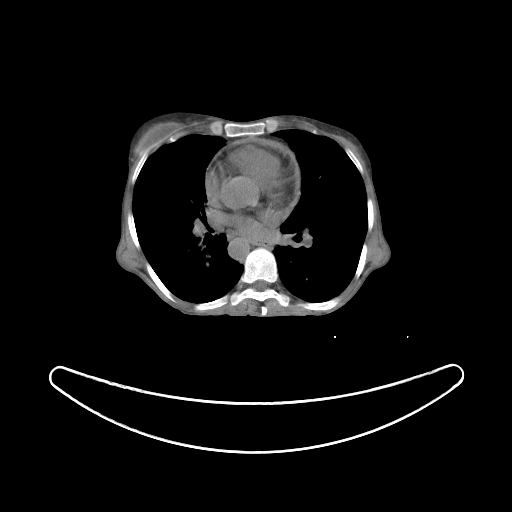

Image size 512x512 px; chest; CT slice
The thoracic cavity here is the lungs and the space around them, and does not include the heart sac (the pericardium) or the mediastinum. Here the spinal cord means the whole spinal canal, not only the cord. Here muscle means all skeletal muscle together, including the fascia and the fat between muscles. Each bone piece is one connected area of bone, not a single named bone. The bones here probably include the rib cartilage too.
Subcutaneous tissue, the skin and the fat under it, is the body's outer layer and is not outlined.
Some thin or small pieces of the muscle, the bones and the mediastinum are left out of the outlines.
{"bones":[{"outer":[[256,248],[264,248],[273,253],[276,260],[281,289],[290,296],[290,303],[287,306],[282,306],[276,299],[271,297],[263,302],[249,297],[243,299],[236,305],[231,305],[228,302],[213,309],[194,310],[194,304],[212,301],[234,290],[244,270],[246,256]],"hole":[[257,280],[263,280],[264,281],[265,281],[267,283],[267,287],[265,289],[264,289],[263,290],[261,290],[260,291],[259,290],[256,290],[252,286],[252,284],[255,281],[256,281]]},[[268,118],[274,118],[276,119],[279,122],[278,128],[273,132],[266,132],[259,135],[243,135],[242,136],[228,137],[224,135],[215,135],[212,134],[210,132],[209,129],[209,124],[213,121],[220,121],[222,123],[225,122],[253,123],[258,121],[263,121]],[[339,295],[341,296],[341,299],[339,302],[339,304],[336,307],[330,310],[309,310],[308,309],[305,309],[304,308],[302,308],[299,306],[296,306],[296,303],[298,301],[306,301],[307,302],[322,302],[323,301],[326,301],[327,300],[329,300]],[[146,260],[149,263],[149,264],[151,266],[155,273],[158,276],[158,277],[164,284],[164,285],[175,296],[176,300],[174,302],[167,298],[158,288],[156,284],[153,281],[153,280],[149,275],[146,269],[146,265],[145,264],[145,261]],[[131,209],[132,211],[132,214],[133,215],[133,219],[134,220],[135,229],[136,230],[136,233],[137,234],[137,238],[138,239],[138,241],[141,248],[140,250],[139,250],[135,246],[132,240],[132,238],[130,235],[128,224],[127,223],[127,213],[128,211]],[[364,242],[366,243],[366,245],[367,246],[367,252],[366,253],[366,256],[365,257],[365,264],[359,277],[356,279],[353,279],[353,277],[354,276],[354,274],[357,268],[357,265],[359,261],[359,258],[360,257],[360,254],[361,253],[362,246]],[[146,151],[147,151],[148,153],[148,156],[146,160],[144,162],[136,178],[136,180],[134,184],[132,184],[131,183],[131,180],[130,179],[132,176],[132,174],[140,158],[140,156]],[[367,197],[370,197],[370,198],[372,200],[372,203],[373,204],[373,225],[372,226],[372,228],[371,229],[371,230],[370,231],[370,232],[367,232],[367,227],[368,226],[368,213],[367,212]],[[345,147],[348,147],[354,153],[354,154],[358,159],[358,160],[363,169],[363,173],[361,175],[361,174],[359,172],[358,169],[356,167],[356,166],[354,164],[354,163],[350,159],[350,158],[348,156],[348,155],[345,152],[345,151],[344,150],[344,148]],[[180,131],[185,131],[186,132],[187,132],[187,133],[185,135],[184,135],[183,136],[180,137],[175,141],[173,141],[172,142],[169,142],[168,143],[165,143],[164,142],[164,141],[169,136],[170,136],[172,134],[173,134],[176,132],[179,132]],[[298,124],[300,124],[301,125],[305,125],[306,126],[308,126],[309,127],[311,127],[312,128],[315,128],[318,131],[318,133],[319,134],[315,134],[314,133],[312,133],[311,132],[310,132],[305,129],[302,129],[301,128],[299,128],[297,126],[297,125]]],"torso":[[[171,111],[209,114],[231,120],[298,114],[340,126],[355,134],[371,161],[383,232],[392,252],[388,263],[373,271],[345,305],[324,316],[187,316],[168,305],[139,277],[122,269],[116,262],[114,252],[120,237],[120,206],[127,175],[130,138],[146,119]]],"thoracic_cavity":[[[192,133],[220,136],[225,141],[205,168],[203,179],[205,190],[204,210],[215,226],[217,233],[225,235],[227,255],[243,266],[236,285],[231,291],[212,300],[195,303],[175,295],[147,260],[138,238],[132,210],[134,185],[148,157],[163,144],[175,142]],[[290,128],[298,128],[334,140],[343,149],[360,174],[366,194],[366,233],[353,276],[338,295],[322,301],[307,301],[286,290],[281,284],[274,254],[280,244],[278,241],[280,226],[293,210],[301,194],[301,171],[296,156],[282,137],[273,134],[275,131]]],"pericardium":[[[250,138],[266,138],[283,142],[293,152],[300,171],[299,197],[287,217],[279,224],[277,231],[270,237],[264,238],[252,237],[239,233],[230,233],[224,230],[220,230],[214,225],[208,213],[204,181],[206,168],[214,156],[228,144]]],"breast_implant":[[[170,120],[181,121],[188,124],[183,126],[180,126],[176,129],[168,133],[166,133],[159,139],[156,140],[152,144],[142,149],[138,153],[137,153],[136,151],[136,146],[141,135],[146,132],[150,127],[161,122],[169,121]]],"spinal_cord":[[[257,280],[263,280],[264,281],[265,281],[267,283],[267,287],[265,289],[264,289],[263,290],[261,290],[260,291],[259,290],[256,290],[252,286],[252,284],[255,281],[256,281]]],"muscle":[[[199,121],[210,122],[208,124],[208,129],[210,133],[199,132],[188,133],[185,130],[180,130],[172,133],[163,141],[164,143],[160,145],[152,153],[149,155],[148,151],[146,150],[139,156],[129,179],[130,183],[133,185],[133,191],[131,208],[126,213],[126,223],[129,235],[134,246],[139,251],[141,250],[142,251],[146,259],[144,261],[145,269],[152,281],[163,295],[170,301],[174,303],[177,300],[176,296],[182,300],[194,303],[192,305],[192,308],[196,312],[213,310],[228,303],[231,306],[236,306],[243,300],[249,298],[260,303],[263,303],[267,299],[271,298],[276,300],[280,306],[287,307],[291,303],[292,298],[288,293],[282,289],[282,287],[293,296],[303,300],[298,300],[295,303],[296,307],[309,311],[327,311],[310,313],[267,314],[268,309],[264,304],[262,304],[260,306],[260,314],[235,312],[211,312],[210,313],[188,312],[177,307],[166,299],[145,279],[138,270],[129,267],[121,260],[119,256],[119,250],[124,237],[124,201],[134,159],[142,150],[149,147],[166,134],[180,127],[190,125]],[[275,118],[306,121],[320,129],[344,137],[356,147],[368,171],[376,203],[378,228],[386,246],[387,254],[379,264],[369,268],[355,290],[341,304],[342,296],[340,294],[352,279],[356,280],[360,277],[365,267],[368,252],[365,238],[374,225],[374,204],[371,197],[367,196],[366,193],[362,178],[364,169],[355,153],[348,146],[343,148],[334,139],[320,134],[315,127],[298,123],[297,127],[279,128],[280,122]]],"mediastinum":[[[216,229],[220,231],[227,232],[230,234],[239,234],[243,236],[260,239],[270,238],[277,232],[277,241],[279,244],[273,252],[264,247],[256,247],[252,249],[245,256],[243,265],[242,263],[240,263],[228,255],[226,250],[226,235],[223,232],[218,233]],[[266,133],[272,133],[274,136],[282,138],[287,144],[283,141],[273,138],[250,137],[249,138],[232,141],[228,143],[223,148],[218,151],[226,142],[225,139],[221,136],[224,136],[228,138],[234,138],[235,137],[242,137],[243,136],[259,136]]]}